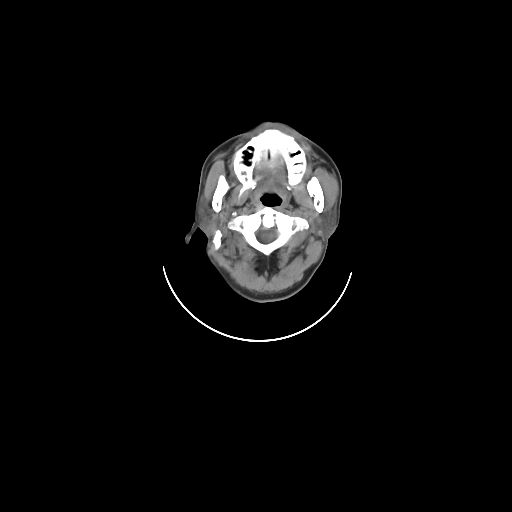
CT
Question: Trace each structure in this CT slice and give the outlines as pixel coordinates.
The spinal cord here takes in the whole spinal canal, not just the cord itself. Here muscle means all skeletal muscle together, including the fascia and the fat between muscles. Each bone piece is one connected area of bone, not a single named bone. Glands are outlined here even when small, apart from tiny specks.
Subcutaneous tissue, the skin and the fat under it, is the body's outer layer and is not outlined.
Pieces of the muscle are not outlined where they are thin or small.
Answer: The head and neck is outlined by [[264,120],[285,122],[319,144],[338,167],[342,180],[342,197],[339,223],[328,239],[322,263],[309,282],[289,298],[259,303],[239,296],[224,283],[206,257],[207,238],[199,228],[188,244],[185,245],[184,239],[194,221],[200,171],[208,153],[227,138]], around a hole outlined by [[266,194],[267,195],[275,195],[276,196],[278,196],[281,199],[281,201],[279,203],[279,204],[278,204],[277,205],[273,205],[272,206],[270,206],[269,205],[264,205],[264,204],[263,203],[262,203],[262,202],[261,201],[261,197],[262,196],[263,196]]. The muscle is outlined by [[278,128],[304,140],[332,167],[337,181],[337,196],[331,207],[322,212],[325,197],[318,177],[312,175],[306,181],[305,187],[312,197],[313,207],[320,214],[316,223],[324,233],[320,256],[304,272],[301,280],[291,287],[279,292],[256,293],[236,283],[211,253],[211,242],[215,250],[222,245],[222,231],[215,229],[212,237],[210,232],[214,227],[213,211],[218,213],[222,209],[223,197],[230,189],[226,176],[221,173],[217,178],[211,197],[211,208],[203,191],[213,157],[236,141],[260,130],[232,155],[232,169],[241,184],[238,197],[244,191],[256,187],[259,178],[254,175],[256,168],[272,170],[283,164],[286,188],[290,190],[297,185],[306,172],[306,153],[291,134]] with a hole at [[266,194],[275,195],[281,199],[279,204],[272,206],[275,210],[290,216],[302,217],[309,226],[307,229],[295,232],[285,244],[268,255],[252,247],[241,233],[228,227],[228,222],[233,217],[233,212],[237,215],[254,213],[264,204],[261,201],[261,197]]. The bones appear in 5 outlined pieces: piece 1: [[266,128],[277,128],[294,138],[305,153],[305,172],[301,180],[288,189],[287,171],[283,163],[272,169],[265,166],[260,168],[256,167],[253,172],[253,175],[258,177],[255,187],[244,190],[239,197],[242,184],[238,180],[233,169],[233,155],[252,136]]; piece 2: [[262,205],[272,207],[275,210],[290,216],[302,217],[307,221],[309,226],[307,229],[295,232],[285,244],[277,248],[270,254],[266,255],[252,247],[245,240],[241,233],[228,227],[228,222],[233,217],[233,212],[235,212],[237,215],[251,214],[260,209]] with a hole at [[261,226],[262,226],[266,229],[268,229],[269,228],[273,228],[274,227],[277,232],[277,236],[276,237],[276,238],[272,241],[271,241],[270,242],[268,242],[267,243],[264,243],[263,242],[261,242],[257,238],[257,237],[255,234],[255,232]]; piece 3: [[312,176],[316,176],[317,177],[320,183],[320,185],[322,188],[322,190],[323,191],[323,196],[324,197],[324,205],[323,206],[323,210],[320,213],[315,209],[314,207],[314,204],[313,203],[313,197],[309,194],[307,190],[307,188],[306,187],[307,181]]; piece 4: [[221,174],[225,176],[225,178],[229,185],[229,189],[222,197],[222,201],[221,202],[221,209],[218,212],[216,212],[213,210],[211,206],[211,202],[212,201],[212,197],[213,196],[213,194],[214,193],[215,188],[217,185],[217,181],[218,180],[218,178]]; piece 5: [[217,229],[219,229],[221,231],[221,232],[222,233],[222,237],[221,238],[221,245],[217,249],[215,249],[214,248],[214,245],[213,244],[213,243],[212,242],[212,238],[213,237],[213,235],[214,234],[214,232],[215,231],[215,230],[216,230]]. The parotid glands appear in 2 outlined pieces: piece 1: [[203,194],[203,195],[206,200],[207,205],[211,209],[211,210],[212,211],[212,215],[213,216],[213,227],[210,231],[208,231],[204,227],[203,227],[200,223],[200,217],[199,216],[199,208],[200,207],[200,204],[202,201],[202,195]]; piece 2: [[335,201],[335,203],[333,206],[335,210],[335,222],[333,226],[331,228],[331,229],[330,229],[329,231],[327,231],[325,233],[325,234],[325,233],[322,230],[320,226],[317,223],[318,222],[317,220],[318,219],[318,217],[322,213],[326,212],[332,207]]. The spinal cord is outlined by [[261,226],[262,226],[266,229],[268,229],[269,228],[273,228],[274,227],[277,232],[277,236],[276,237],[276,238],[272,241],[271,241],[270,242],[268,242],[267,243],[264,243],[263,242],[261,242],[257,238],[257,237],[255,234],[255,232]].